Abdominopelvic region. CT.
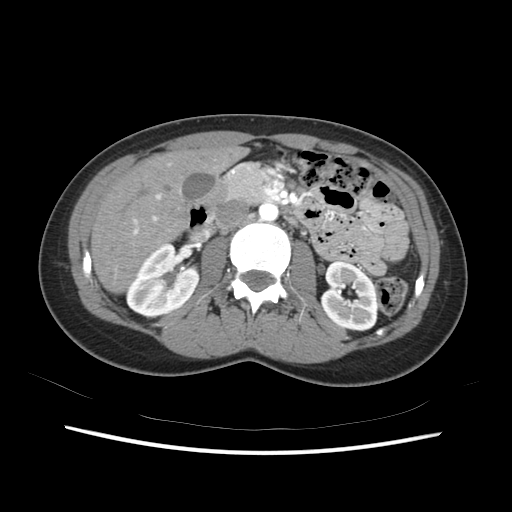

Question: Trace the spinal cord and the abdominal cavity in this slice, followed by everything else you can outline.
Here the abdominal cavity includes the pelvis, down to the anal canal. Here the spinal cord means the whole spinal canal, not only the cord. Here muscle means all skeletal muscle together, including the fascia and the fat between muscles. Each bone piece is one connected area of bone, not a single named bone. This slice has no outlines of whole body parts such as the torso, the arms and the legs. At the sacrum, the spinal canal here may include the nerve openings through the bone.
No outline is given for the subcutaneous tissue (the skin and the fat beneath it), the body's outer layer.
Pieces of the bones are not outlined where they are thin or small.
Answer: Outlines (x, y in pixels):
spinal cord: 251 270; 258 270; 259 271; 265 271; 266 272; 269 273; 271 275; 271 276; 273 279; 273 282; 269 285; 268 285; 265 288; 264 288; 259 291; 254 291; 252 289; 251 289; 242 280; 242 275; 244 273; 245 273; 248 271; 250 271
abdominal cavity: 255 139; 349 158; 398 197; 420 269; 409 305; 395 320; 370 333; 336 324; 317 298; 310 246; 290 238; 278 224; 262 221; 246 223; 230 238; 208 241; 193 293; 156 319; 124 311; 104 295; 87 249; 104 191; 146 160; 171 151
muscle: 212 130; 232 130; 254 135; 302 133; 323 139; 345 142; 386 160; 417 181; 426 195; 440 242; 439 275; 420 323; 402 337; 379 346; 356 350; 335 360; 321 363; 294 364; 275 360; 252 349; 242 350; 230 355; 211 359; 186 357; 170 351; 153 337; 145 333; 101 320; 91 314; 83 306; 79 298; 76 284; 68 265; 67 253; 69 218; 85 186; 102 167; 126 154; 135 153; 179 136, around a hole outlined by 255 139; 349 158; 400 200; 424 285; 381 335; 328 317; 316 295; 313 252; 298 238; 290 239; 281 276; 287 298; 253 315; 226 289; 236 269; 223 235; 203 246; 190 297; 156 319; 124 311; 84 276; 96 209; 116 179; 171 151
bones 1: 253 222; 278 225; 287 233; 291 243; 290 261; 281 276; 282 285; 288 294; 287 298; 280 298; 277 303; 266 301; 253 315; 246 299; 236 299; 233 296; 232 291; 226 289; 233 279; 236 271; 228 255; 230 239; 239 228 with a hole at 251 270; 258 270; 259 271; 265 271; 266 272; 269 273; 271 275; 271 276; 273 279; 273 282; 269 285; 268 285; 265 288; 264 288; 259 291; 254 291; 252 289; 251 289; 242 280; 242 275; 244 273; 245 273; 248 271; 250 271
bones 2: 85 249; 86 249; 88 251; 88 252; 89 253; 89 256; 91 259; 91 277; 89 280; 87 278; 86 278; 84 276; 84 274; 83 273; 83 271; 82 270; 82 260; 83 259; 83 256; 84 255; 84 250